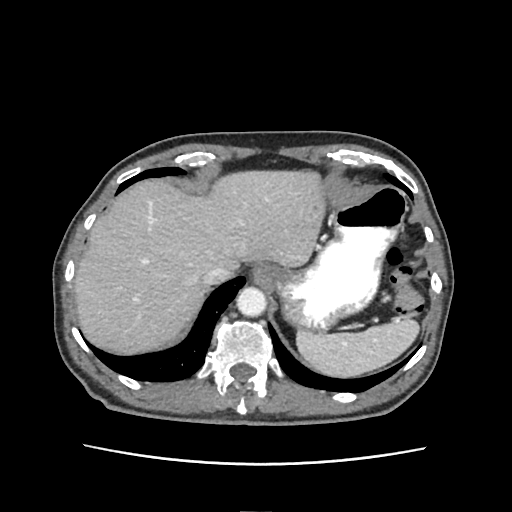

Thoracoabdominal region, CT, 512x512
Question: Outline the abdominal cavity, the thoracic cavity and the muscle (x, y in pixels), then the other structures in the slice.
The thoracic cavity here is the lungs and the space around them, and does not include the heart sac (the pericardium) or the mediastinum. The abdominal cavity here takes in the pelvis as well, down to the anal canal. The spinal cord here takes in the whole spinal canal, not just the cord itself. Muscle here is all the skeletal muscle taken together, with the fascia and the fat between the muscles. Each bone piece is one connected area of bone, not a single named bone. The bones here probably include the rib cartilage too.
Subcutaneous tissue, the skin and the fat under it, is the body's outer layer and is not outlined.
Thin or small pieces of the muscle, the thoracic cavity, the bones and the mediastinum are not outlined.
Answer: {"abdominal_cavity":[[[342,379],[391,367],[425,333],[433,304],[429,243],[417,203],[403,188],[353,184],[343,177],[348,165],[268,153],[139,180],[115,192],[98,214],[72,280],[76,323],[94,346],[122,356],[172,347],[211,292],[242,276],[266,288],[268,323],[292,355]]],"thoracic_cavity":[[[139,381],[173,381],[192,375],[204,361],[205,354],[210,347],[211,334],[216,320],[243,285],[245,279],[238,277],[214,290],[204,303],[194,326],[186,338],[178,345],[167,350],[139,356],[122,357],[108,354],[86,341],[94,354],[106,365],[117,372]],[[353,392],[365,390],[389,377],[408,360],[420,344],[407,357],[387,370],[363,378],[346,380],[333,379],[316,374],[300,364],[281,343],[272,326],[269,323],[268,324],[268,329],[274,347],[274,355],[277,358],[283,371],[289,377],[303,385],[317,389]],[[116,193],[118,193],[131,183],[133,183],[135,181],[137,181],[139,179],[142,179],[145,177],[157,177],[162,175],[183,174],[185,171],[183,169],[178,167],[159,167],[158,168],[153,168],[152,169],[145,170],[120,184],[116,190]],[[412,198],[413,197],[413,195],[412,193],[394,176],[388,173],[386,173],[385,174],[385,177],[387,179],[403,187],[404,189],[406,190],[406,191],[408,193],[410,197]]],"muscle":[{"outer":[[280,416],[341,414],[357,411],[380,404],[402,393],[414,383],[422,374],[425,367],[430,361],[434,350],[437,331],[443,309],[443,300],[445,295],[444,288],[447,285],[447,270],[445,266],[444,254],[440,241],[439,231],[428,208],[424,193],[418,180],[408,168],[395,158],[378,150],[353,143],[297,146],[294,148],[277,150],[208,143],[187,143],[146,156],[123,167],[111,178],[99,196],[84,212],[71,235],[63,257],[60,261],[60,301],[62,309],[63,333],[68,351],[74,362],[96,381],[100,387],[112,393],[121,400],[137,407],[182,414],[217,412],[228,410],[235,411],[236,405],[242,394],[245,397],[245,404],[248,409],[247,413],[268,413],[271,415]],"hole":[[340,402],[410,368],[427,346],[422,340],[433,293],[442,285],[431,271],[434,238],[422,226],[410,175],[391,159],[344,148],[326,153],[341,164],[268,153],[214,164],[213,153],[194,151],[176,156],[170,167],[137,166],[120,174],[112,199],[85,219],[82,249],[64,272],[72,282],[77,324],[71,332],[80,346],[132,389],[140,381],[212,374],[221,395],[232,384],[263,397],[270,369],[280,378],[285,373],[333,391]]}],"spinal_cord":[[[240,382],[245,382],[246,381],[246,380],[250,376],[253,375],[255,373],[255,369],[253,367],[252,367],[245,363],[239,363],[238,364],[236,364],[235,365],[234,365],[230,369],[230,373],[231,374],[231,375],[232,376],[233,376],[237,381],[239,381]]],"torso":[[[254,426],[335,423],[383,415],[417,391],[435,367],[454,290],[449,242],[420,169],[403,151],[382,139],[351,131],[320,129],[210,131],[163,138],[114,164],[76,211],[63,234],[51,272],[54,337],[63,362],[87,393],[110,410],[132,415],[193,423]]],"bones":[{"outer":[[259,397],[263,397],[267,392],[266,381],[269,369],[280,378],[284,376],[273,355],[270,335],[267,329],[255,320],[225,321],[218,328],[205,361],[195,373],[195,376],[200,379],[212,374],[217,390],[221,395],[232,384],[237,389],[252,389],[257,392]],"hole":[[240,382],[245,382],[246,381],[246,380],[250,376],[253,375],[255,373],[255,369],[253,367],[252,367],[245,363],[239,363],[238,364],[236,364],[235,365],[234,365],[230,369],[230,373],[231,374],[231,375],[232,376],[233,376],[237,381],[239,381]]},[[413,194],[418,192],[418,189],[414,180],[409,174],[391,159],[384,158],[381,156],[363,151],[357,151],[344,148],[326,153],[327,157],[333,160],[348,164],[353,167],[363,167],[368,164],[379,164],[384,167],[386,170],[392,172]],[[184,169],[187,166],[188,167],[195,167],[196,166],[201,166],[206,164],[208,164],[209,165],[210,164],[213,164],[213,161],[216,158],[216,156],[211,152],[206,152],[205,151],[194,151],[193,152],[180,154],[176,156],[170,164],[171,166],[178,166]],[[403,371],[410,368],[416,362],[417,362],[421,358],[421,357],[425,352],[425,350],[426,349],[426,347],[427,346],[426,345],[426,344],[424,344],[423,343],[422,343],[421,344],[421,345],[414,353],[414,354],[409,359],[409,360],[400,369]],[[118,185],[120,183],[123,182],[125,180],[128,179],[130,177],[131,177],[132,176],[141,172],[143,170],[144,170],[144,169],[140,166],[137,166],[136,167],[134,167],[131,169],[129,169],[128,170],[123,172],[118,176],[118,177],[116,180],[116,183]],[[340,402],[349,402],[350,401],[352,401],[353,400],[354,400],[357,397],[357,394],[356,393],[353,393],[352,392],[334,392],[333,393],[333,394],[332,395],[332,398],[334,400],[336,400],[337,401],[339,401]],[[88,353],[91,353],[92,352],[90,350],[90,349],[86,344],[85,341],[83,339],[83,338],[82,337],[79,330],[76,326],[72,326],[71,327],[71,332],[72,333],[73,336],[75,338],[76,341],[80,345],[80,346],[86,352],[87,352]],[[132,389],[139,389],[141,387],[141,384],[138,381],[137,381],[132,378],[130,378],[129,377],[128,377],[127,376],[125,376],[122,374],[117,373],[117,377],[118,378],[118,379],[122,383],[123,383],[125,385],[128,386],[130,388],[131,388]],[[437,294],[438,294],[440,292],[440,291],[441,290],[441,288],[442,287],[442,285],[441,284],[441,280],[440,279],[440,278],[439,277],[438,274],[435,271],[433,271],[431,273],[431,276],[430,277],[430,285],[431,286],[431,289],[435,293],[436,293]],[[86,230],[87,230],[88,229],[89,229],[89,228],[93,223],[93,222],[95,219],[95,217],[96,216],[96,214],[95,213],[92,213],[91,214],[90,214],[85,219],[85,220],[84,221],[84,223],[83,224],[83,226],[84,227],[84,228]]],"mediastinum":[[[212,340],[217,328],[225,320],[228,319],[255,319],[259,321],[267,328],[267,310],[269,309],[269,296],[267,295],[267,292],[265,290],[265,288],[261,284],[247,278],[244,285],[240,288],[235,297],[228,304],[225,310],[217,320],[212,334]],[[360,184],[393,184],[393,183],[390,182],[384,177],[384,174],[386,172],[388,172],[393,175],[393,174],[386,171],[384,168],[380,168],[379,167],[364,167],[363,168],[353,168],[351,167],[346,172],[344,177],[353,183],[359,183]]]}